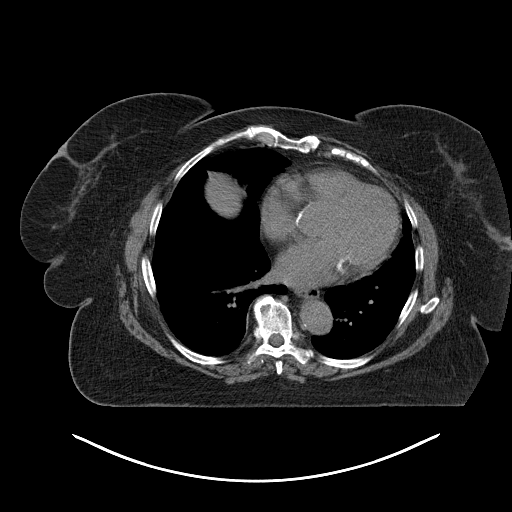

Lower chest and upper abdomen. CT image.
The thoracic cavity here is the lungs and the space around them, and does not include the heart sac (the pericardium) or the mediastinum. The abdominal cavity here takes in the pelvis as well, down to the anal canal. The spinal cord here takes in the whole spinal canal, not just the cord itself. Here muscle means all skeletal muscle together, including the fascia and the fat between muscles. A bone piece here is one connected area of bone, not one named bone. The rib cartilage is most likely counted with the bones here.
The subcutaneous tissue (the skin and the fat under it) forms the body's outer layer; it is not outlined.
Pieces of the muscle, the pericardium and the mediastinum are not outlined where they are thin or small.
{"muscle":[[[185,160],[173,177],[176,185],[167,202],[164,205],[158,200],[152,209],[148,225],[148,234],[153,237],[151,259],[146,254],[140,258],[146,290],[153,300],[156,298],[174,336],[168,332],[165,335],[179,353],[200,365],[224,364],[222,356],[234,352],[252,337],[253,348],[246,355],[246,363],[260,355],[271,356],[275,359],[276,374],[228,384],[160,355],[131,335],[119,318],[115,267],[124,267],[131,215],[151,187]],{"outer":[[315,134],[334,137],[365,152],[375,164],[393,174],[395,179],[414,197],[427,214],[435,230],[439,251],[437,277],[440,280],[445,277],[452,280],[454,297],[452,311],[445,324],[425,346],[414,354],[369,372],[318,384],[304,384],[279,375],[283,371],[283,362],[280,358],[283,355],[291,355],[302,365],[315,357],[321,364],[340,369],[354,369],[368,363],[374,355],[364,355],[378,346],[394,327],[399,328],[412,310],[419,293],[416,287],[412,289],[415,276],[424,268],[424,248],[419,243],[415,246],[412,237],[413,229],[418,227],[418,219],[409,201],[404,198],[402,205],[391,186],[379,177],[376,168],[365,157],[341,146],[327,145],[325,147],[322,140]],"hole":[[434,296],[437,296],[438,297],[439,297],[439,302],[437,304],[437,305],[434,308],[434,309],[431,312],[430,312],[429,313],[427,313],[426,314],[425,314],[424,313],[421,313],[420,312],[420,307],[421,306],[421,305],[426,303],[432,297],[433,297]]},[[242,138],[245,138],[247,140],[248,140],[239,140],[238,141],[234,141],[233,142],[232,142],[231,143],[230,143],[229,144],[228,144],[227,145],[226,145],[225,146],[224,146],[223,147],[222,147],[221,148],[220,148],[219,149],[216,150],[213,153],[210,154],[216,148],[217,148],[218,147],[221,147],[223,145],[224,145],[225,144],[226,144],[231,141],[234,141],[235,140],[238,140],[239,139],[241,139]]],"mediastinum":[[[396,245],[390,257],[372,274],[353,284],[325,291],[323,299],[334,319],[327,334],[312,335],[310,339],[304,337],[294,326],[289,306],[270,294],[283,295],[287,292],[287,287],[278,282],[271,262],[286,285],[296,290],[317,289],[361,276],[386,259]],[[239,141],[259,142],[270,148],[295,150],[304,154],[317,152],[325,156],[337,156],[365,168],[390,186],[403,206],[404,210],[401,213],[402,236],[400,240],[397,244],[397,242],[401,228],[401,215],[398,211],[395,199],[379,179],[363,171],[335,161],[308,161],[276,177],[265,192],[261,215],[261,237],[265,249],[260,240],[261,220],[258,200],[273,176],[283,172],[291,162],[280,153],[266,146],[240,148],[212,154]]],"bones":[{"outer":[[263,294],[288,306],[293,326],[303,343],[317,354],[335,359],[373,357],[358,367],[340,368],[321,363],[315,356],[302,364],[287,353],[279,358],[280,374],[276,373],[276,359],[271,355],[260,354],[247,363],[247,355],[254,348],[256,322],[252,306]],"hole":[[273,334],[279,334],[282,337],[282,338],[283,339],[283,342],[280,345],[279,345],[278,346],[274,346],[273,345],[272,345],[271,344],[270,344],[269,343],[269,338],[270,337],[270,336],[271,335],[272,335]]},[[248,125],[265,125],[295,139],[314,134],[325,148],[337,146],[362,156],[375,168],[378,176],[344,157],[325,155],[326,149],[323,147],[304,153],[295,149],[270,147],[242,137],[216,147],[195,163],[176,183],[176,173],[190,157],[218,137],[243,130]],[[166,333],[168,333],[184,346],[196,353],[198,353],[202,355],[205,355],[206,356],[222,357],[224,358],[225,362],[224,363],[220,363],[219,364],[200,364],[199,363],[194,362],[188,359],[180,352],[179,352],[174,347],[174,346],[167,337]],[[143,255],[146,255],[150,260],[151,269],[152,270],[153,278],[155,282],[155,287],[156,288],[156,294],[155,295],[156,297],[154,299],[153,299],[149,294],[143,279],[143,275],[142,274],[142,270],[141,269],[141,258]],[[415,288],[416,288],[418,290],[418,293],[417,294],[415,302],[411,310],[409,312],[401,325],[399,327],[396,327],[395,326],[396,325],[396,323],[398,321],[398,318],[401,312],[401,310],[403,308],[409,296],[409,294],[411,292],[411,291]],[[158,201],[161,201],[162,202],[163,204],[163,207],[162,208],[161,215],[160,216],[160,218],[157,225],[157,228],[156,229],[154,237],[153,236],[150,236],[149,234],[149,225],[150,224],[150,220],[151,219],[151,216],[152,215],[153,209],[156,203]],[[418,244],[419,244],[420,245],[421,245],[422,246],[422,247],[423,248],[423,268],[422,269],[422,270],[421,271],[420,271],[419,272],[416,272],[416,270],[415,269],[415,247]],[[404,199],[406,199],[408,201],[408,202],[412,207],[412,208],[415,213],[415,215],[416,216],[416,218],[417,219],[417,227],[416,228],[412,228],[412,226],[411,225],[410,220],[409,219],[409,218],[404,209],[404,206],[403,205],[403,200]],[[434,296],[437,296],[438,297],[439,297],[439,302],[437,304],[437,305],[434,308],[434,309],[431,312],[430,312],[429,313],[427,313],[426,314],[425,314],[424,313],[421,313],[420,312],[420,307],[421,306],[421,305],[426,303],[432,297],[433,297]]],"thoracic_cavity":[{"outer":[[256,147],[273,150],[290,162],[283,171],[272,176],[257,200],[259,240],[277,282],[286,287],[286,292],[263,293],[254,299],[252,336],[234,351],[221,356],[202,354],[175,337],[160,310],[151,264],[154,238],[164,206],[179,181],[195,164],[208,155]],"hole":[[208,171],[223,172],[224,173],[229,174],[235,178],[240,184],[245,185],[245,190],[246,191],[247,196],[243,201],[243,205],[237,217],[233,219],[226,219],[218,215],[218,214],[210,207],[206,201],[206,199],[204,195],[204,185],[208,177]]},[[404,211],[412,229],[415,275],[411,290],[393,328],[373,349],[352,358],[327,356],[306,345],[302,336],[307,340],[310,340],[312,336],[324,336],[333,327],[335,319],[324,299],[326,291],[361,281],[372,275],[391,257],[403,236],[402,213]]],"torso":[[[152,92],[199,96],[213,115],[279,105],[351,119],[413,104],[475,127],[505,199],[511,275],[499,331],[479,327],[488,361],[465,403],[114,407],[84,397],[68,363],[77,308],[46,294],[48,265],[24,247],[20,212],[38,173],[78,126],[112,102]]],"pericardium":[[[308,162],[335,162],[363,172],[379,180],[395,201],[397,211],[400,215],[400,228],[396,244],[388,253],[387,257],[361,275],[332,285],[324,285],[323,287],[296,289],[282,281],[278,270],[268,257],[262,237],[262,215],[266,192],[276,178],[293,168]]],"spinal_cord":[[[273,334],[279,334],[282,337],[282,338],[283,339],[283,342],[280,345],[279,345],[278,346],[274,346],[273,345],[272,345],[271,344],[270,344],[269,343],[269,338],[270,337],[270,336],[271,335],[272,335]]],"abdominal_cavity":[[[208,171],[223,172],[224,173],[229,174],[235,178],[240,184],[245,185],[245,190],[246,191],[247,196],[243,201],[243,205],[237,217],[233,219],[226,219],[218,215],[218,214],[210,207],[206,201],[206,199],[204,195],[204,185],[208,177]]]}